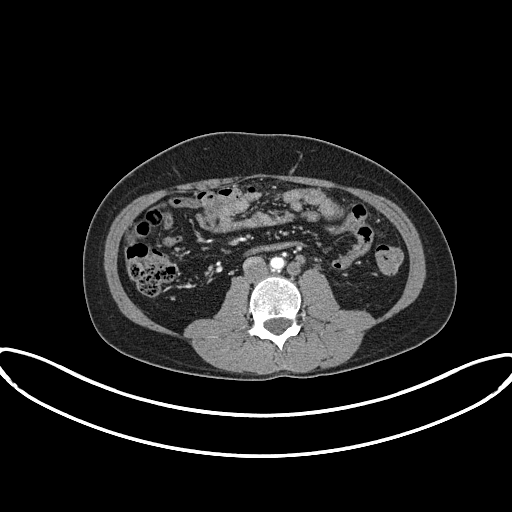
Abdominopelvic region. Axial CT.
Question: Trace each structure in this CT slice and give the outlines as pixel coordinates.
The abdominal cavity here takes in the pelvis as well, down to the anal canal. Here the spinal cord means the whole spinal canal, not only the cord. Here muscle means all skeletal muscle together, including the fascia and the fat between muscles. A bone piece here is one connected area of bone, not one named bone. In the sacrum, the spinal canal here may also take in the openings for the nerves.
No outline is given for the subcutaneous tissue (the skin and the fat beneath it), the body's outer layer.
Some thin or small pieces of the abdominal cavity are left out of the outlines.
Answer: {"abdominal_cavity":[[[179,331],[194,318],[212,316],[234,276],[247,279],[250,293],[268,275],[286,277],[297,286],[312,267],[325,275],[341,308],[363,308],[377,317],[402,292],[409,263],[405,244],[382,213],[335,188],[252,178],[168,194],[124,230],[118,273],[134,303]]],"spinal_cord":[[[275,334],[279,334],[280,333],[281,333],[288,326],[289,326],[289,325],[290,324],[290,321],[289,320],[288,320],[285,318],[274,318],[273,319],[270,319],[269,320],[267,320],[264,323],[264,326],[268,330],[269,330],[271,332],[272,332]]],"bones":[{"outer":[[280,350],[284,342],[290,336],[296,335],[302,326],[297,319],[301,303],[301,296],[293,282],[279,276],[268,276],[255,284],[251,291],[249,298],[249,311],[252,315],[253,322],[247,330],[247,332],[250,336],[257,336],[262,339],[265,338],[272,341]],"hole":[[275,334],[279,334],[280,333],[281,333],[288,326],[289,326],[289,325],[290,324],[290,321],[289,320],[288,320],[285,318],[274,318],[273,319],[270,319],[269,320],[267,320],[264,323],[264,326],[268,330],[269,330],[271,332],[272,332]]}],"torso":[[[242,381],[307,378],[359,368],[417,347],[446,324],[457,292],[455,265],[449,245],[422,199],[387,168],[352,150],[308,136],[245,131],[211,132],[183,140],[143,161],[120,178],[103,197],[90,220],[82,255],[85,301],[100,337],[122,354],[157,367]]],"muscle":[{"outer":[[259,375],[283,369],[303,373],[314,369],[339,365],[347,361],[355,353],[368,329],[391,318],[417,298],[423,286],[426,275],[424,251],[420,236],[415,226],[397,204],[370,190],[342,185],[326,179],[290,174],[280,175],[253,173],[248,175],[203,179],[180,183],[168,188],[155,190],[134,198],[118,212],[112,220],[105,237],[103,247],[103,267],[109,290],[120,311],[127,318],[141,326],[185,339],[204,361],[219,369]],"hole":[[280,350],[302,326],[297,281],[306,269],[325,275],[341,308],[377,317],[398,299],[408,254],[382,213],[343,190],[252,178],[168,194],[134,218],[120,239],[118,273],[148,316],[181,331],[194,318],[212,316],[230,280],[242,275],[250,283],[248,334]]}]}